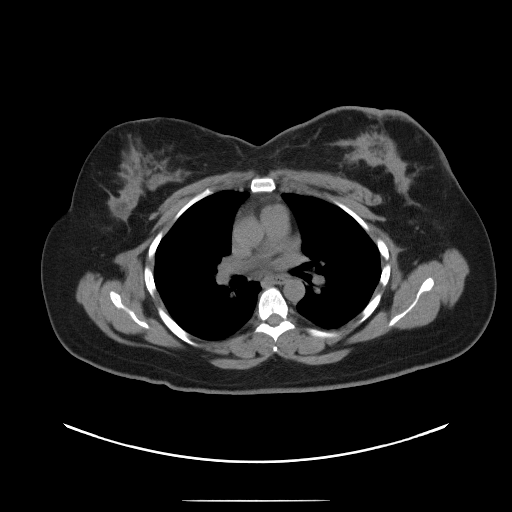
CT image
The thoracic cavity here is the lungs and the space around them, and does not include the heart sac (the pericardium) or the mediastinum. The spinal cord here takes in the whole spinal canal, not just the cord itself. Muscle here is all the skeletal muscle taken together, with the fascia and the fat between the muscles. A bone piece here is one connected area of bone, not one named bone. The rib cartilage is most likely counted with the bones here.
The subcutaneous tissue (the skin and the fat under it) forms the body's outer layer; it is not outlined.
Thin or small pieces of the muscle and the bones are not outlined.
Outlines (x, y in pixels):
spinal cord: (272, 314) (277, 314) (279, 316) (280, 316) (280, 317) (281, 318) (281, 321) (278, 324) (277, 324) (276, 325) (271, 325) (270, 324) (269, 324) (267, 322) (267, 320) (268, 319) (268, 318)
mediastinum: (245, 187) (252, 193) (270, 193) (277, 187) (301, 193) (283, 192) (280, 196) (295, 218) (301, 252) (307, 258) (293, 271) (305, 282) (305, 293) (294, 308) (277, 287) (269, 286) (258, 296) (262, 288) (257, 280) (247, 281) (232, 272) (233, 223) (250, 195) (236, 189) with a hole at (268, 197) (275, 198) (279, 200) (288, 210) (291, 220) (296, 227) (299, 236) (298, 251) (289, 261) (279, 265) (259, 268) (258, 267) (256, 268) (248, 267) (246, 265) (244, 265) (234, 255) (233, 249) (234, 224) (236, 218) (240, 212) (245, 208) (247, 204) (253, 201)
thoracic cavity 1: (225, 189) (249, 193) (237, 209) (232, 223) (231, 251) (229, 254) (231, 272) (243, 276) (247, 282) (257, 281) (261, 290) (257, 295) (253, 315) (245, 325) (223, 339) (206, 340) (191, 335) (168, 313) (157, 291) (153, 273) (154, 260) (162, 238) (178, 218) (196, 202)
thoracic cavity 2: (283, 193) (310, 195) (334, 204) (351, 216) (361, 226) (375, 243) (381, 257) (381, 270) (378, 284) (371, 298) (359, 314) (336, 328) (320, 328) (299, 315) (295, 310) (297, 304) (306, 293) (306, 282) (294, 271) (308, 258) (302, 252) (300, 230) (293, 212) (281, 196)
muscle: (277, 168) (328, 172) (356, 181) (374, 193) (381, 195) (383, 202) (371, 209) (384, 220) (377, 220) (373, 223) (387, 233) (398, 246) (403, 248) (397, 258) (399, 266) (404, 272) (407, 272) (416, 264) (432, 259) (440, 260) (440, 254) (447, 248) (454, 247) (459, 250) (469, 266) (463, 290) (453, 306) (442, 308) (430, 323) (410, 329) (400, 329) (391, 337) (355, 348) (340, 360) (332, 363) (310, 365) (275, 354) (248, 369) (226, 369) (158, 349) (119, 342) (104, 333) (76, 300) (75, 291) (78, 281) (86, 271) (98, 272) (105, 279) (118, 278) (123, 274) (119, 265) (113, 261) (114, 258) (117, 254) (136, 247) (150, 235) (157, 220) (155, 218) (150, 219) (150, 214) (176, 190) (215, 174) (253, 170) (264, 176) with holes at (256, 177) (271, 177) (277, 187) (289, 188) (330, 203) (336, 200) (351, 209) (366, 222) (371, 239) (375, 242) (380, 238) (387, 246) (389, 279) (385, 286) (379, 283) (376, 286) (373, 294) (381, 292) (381, 298) (365, 320) (357, 324) (360, 317) (358, 314) (336, 328) (325, 330) (339, 332) (338, 337) (311, 335) (306, 328) (320, 328) (298, 315) (295, 328) (284, 331) (276, 341) (266, 333) (254, 332) (254, 324) (249, 321) (223, 339) (206, 340) (192, 335) (191, 338) (199, 345) (191, 345) (174, 334) (162, 321) (157, 308) (166, 308) (158, 292) (152, 297) (146, 288) (144, 268) (148, 266) (154, 269) (154, 261) (148, 258) (148, 248) (159, 231) (166, 234) (178, 211) (206, 188) (214, 188) (215, 192) (248, 188) and at (428, 277) (431, 277) (433, 279) (433, 281) (434, 282) (433, 286) (431, 289) (428, 291) (424, 291) (422, 292) (420, 294) (415, 305) (393, 325) (389, 326) (388, 325) (389, 321) (394, 316) (402, 312) (406, 308) (407, 308) (414, 300) (416, 296) (416, 294) (422, 282) and at (112, 290) (113, 291) (115, 291) (120, 295) (122, 303) (125, 306) (132, 310) (138, 319) (146, 322) (149, 325) (149, 328) (145, 328) (139, 325) (132, 319) (130, 315) (127, 312) (121, 308) (118, 308) (116, 307) (114, 305) (109, 295) (109, 292)
torso: (340, 105) (398, 109) (411, 115) (438, 142) (478, 212) (490, 239) (497, 288) (491, 318) (469, 349) (443, 363) (364, 385) (234, 395) (175, 390) (116, 375) (63, 347) (42, 294) (42, 248) (51, 226) (69, 206) (85, 157) (107, 129) (128, 120) (167, 116) (259, 145)
bones 1: (269, 287) (277, 288) (289, 307) (294, 309) (298, 315) (295, 320) (296, 323) (295, 328) (284, 331) (277, 338) (276, 341) (274, 341) (272, 337) (266, 333) (254, 332) (253, 331) (254, 324) (250, 322) (250, 320) (253, 317) (256, 310) (258, 298) (260, 294) (265, 289) with a hole at (272, 314) (277, 314) (279, 316) (280, 316) (280, 317) (281, 318) (281, 321) (278, 324) (277, 324) (276, 325) (271, 325) (270, 324) (269, 324) (267, 322) (267, 320) (268, 319) (268, 318)
bones 2: (158, 307) (161, 307) (164, 310) (165, 310) (170, 316) (170, 317) (181, 328) (186, 331) (191, 336) (191, 338) (199, 345) (198, 346) (194, 346) (193, 345) (191, 345) (185, 342) (179, 338) (175, 334) (174, 334) (167, 327) (167, 326) (160, 318) (157, 311) (157, 308)
bones 3: (428, 277) (431, 277) (433, 279) (433, 281) (434, 282) (433, 286) (431, 289) (428, 291) (424, 291) (422, 292) (420, 294) (415, 305) (393, 325) (389, 326) (388, 325) (389, 321) (394, 316) (402, 312) (406, 308) (407, 308) (414, 300) (416, 296) (416, 294) (422, 282)
bones 4: (378, 238) (380, 238) (385, 243) (387, 246) (387, 249) (389, 253) (389, 258) (387, 262) (390, 265) (390, 274) (389, 275) (389, 279) (386, 285) (383, 287) (379, 283) (379, 280) (381, 275) (382, 266) (387, 262) (381, 256) (380, 252) (378, 249) (378, 247) (375, 242)
bones 5: (256, 177) (271, 177) (274, 180) (274, 181) (275, 182) (275, 183) (276, 184) (276, 188) (274, 190) (273, 190) (272, 191) (271, 191) (270, 192) (252, 192) (250, 190) (250, 189) (249, 188) (249, 186) (250, 185) (250, 182) (251, 181) (251, 180) (253, 178) (255, 178)
bones 6: (112, 290) (113, 291) (115, 291) (120, 295) (122, 303) (125, 306) (132, 310) (138, 319) (146, 322) (149, 325) (149, 328) (145, 328) (139, 325) (132, 319) (130, 315) (127, 312) (121, 308) (118, 308) (116, 307) (114, 305) (109, 295) (109, 292)
bones 7: (378, 292) (381, 292) (381, 298) (380, 299) (380, 301) (378, 305) (372, 312) (372, 313) (365, 320) (364, 320) (361, 323) (359, 324) (357, 324) (356, 323) (358, 319) (360, 317) (360, 313) (367, 305) (367, 304) (372, 298) (372, 297) (376, 293)
bones 8: (208, 187) (210, 187) (211, 188) (214, 188) (214, 192) (196, 201) (193, 204) (192, 204) (189, 207) (188, 207) (177, 218) (177, 219) (172, 224) (173, 219) (175, 215) (178, 212) (178, 211) (194, 196) (200, 193)
bones 9: (145, 266) (148, 266) (152, 270) (152, 273) (153, 274) (153, 279) (154, 280) (154, 283) (155, 284) (155, 287) (156, 288) (156, 292) (154, 295) (154, 297) (152, 297) (150, 295) (149, 292) (146, 288) (146, 285) (145, 284) (145, 280) (144, 279) (144, 268) (145, 267)
bones 10: (332, 200) (336, 200) (344, 204) (347, 207) (351, 209) (356, 214) (357, 214) (364, 221) (366, 222) (369, 228) (369, 232) (368, 233) (351, 215) (350, 215) (343, 209) (342, 209) (340, 207) (339, 207) (337, 205) (333, 203)
bones 11: (308, 327) (313, 327) (317, 329) (320, 329) (321, 330) (325, 330) (326, 331) (337, 331) (339, 332) (339, 336) (338, 337) (331, 337) (330, 338) (322, 338) (321, 337) (318, 337) (317, 336) (313, 336) (311, 335) (306, 330) (306, 328)
bones 12: (159, 231) (162, 231) (164, 234) (163, 235) (163, 236) (161, 238) (161, 239) (156, 248) (156, 250) (155, 251) (155, 253) (154, 254) (154, 259) (153, 260) (150, 260) (148, 258) (148, 248) (149, 247) (151, 242) (153, 240) (153, 239) (155, 237) (155, 236)
pericardium: (268, 197) (275, 198) (279, 200) (288, 210) (291, 220) (296, 227) (299, 236) (298, 251) (289, 261) (279, 265) (259, 268) (258, 267) (256, 268) (248, 267) (246, 265) (244, 265) (234, 255) (233, 249) (234, 224) (236, 218) (240, 212) (245, 208) (247, 204) (253, 201)